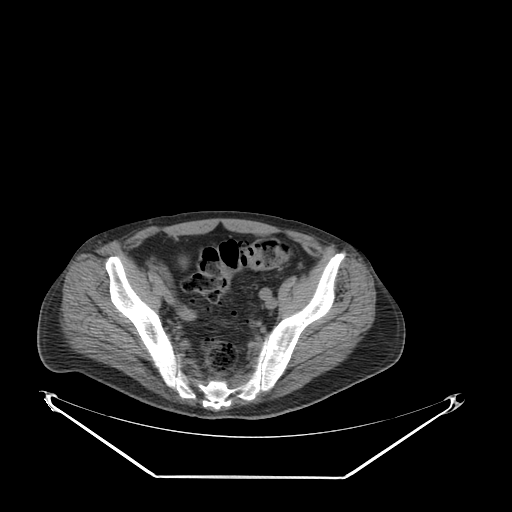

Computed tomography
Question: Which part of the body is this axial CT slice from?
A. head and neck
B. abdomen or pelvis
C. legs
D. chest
Answer: B. abdomen or pelvis
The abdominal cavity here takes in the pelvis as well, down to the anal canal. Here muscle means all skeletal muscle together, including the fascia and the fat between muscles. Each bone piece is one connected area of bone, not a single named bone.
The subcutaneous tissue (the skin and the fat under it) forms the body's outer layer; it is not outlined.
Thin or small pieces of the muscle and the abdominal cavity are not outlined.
{"bones":[[[341,251],[346,254],[333,303],[302,331],[273,387],[252,400],[233,397],[218,410],[204,407],[200,394],[182,398],[164,382],[136,328],[111,301],[105,268],[109,256],[120,258],[189,378],[225,379],[232,386],[250,377],[266,336],[308,303],[327,262]]],"abdominal_cavity":[[[219,224],[243,234],[283,233],[317,259],[308,272],[289,276],[281,284],[277,294],[278,322],[263,339],[257,355],[228,379],[210,377],[192,357],[172,343],[159,315],[164,283],[159,275],[145,271],[128,254],[129,250],[158,232],[171,236],[201,235]]],"muscle":[[[209,218],[258,221],[351,248],[365,261],[376,291],[374,322],[358,347],[334,368],[286,395],[219,410],[230,406],[233,398],[252,401],[261,391],[267,392],[274,387],[286,370],[303,331],[325,316],[332,307],[337,275],[347,254],[341,250],[332,255],[323,267],[307,303],[278,321],[280,287],[289,277],[308,273],[318,259],[283,232],[243,233],[229,230],[219,223],[201,234],[171,235],[158,231],[127,251],[138,267],[161,279],[163,288],[159,313],[134,290],[118,255],[109,255],[104,261],[110,301],[135,328],[163,382],[182,399],[196,399],[200,395],[203,407],[166,399],[122,371],[73,351],[66,342],[59,318],[65,276],[76,256],[93,246],[148,226],[168,226]],[[173,345],[174,345],[182,353],[192,358],[192,359],[199,366],[199,367],[209,377],[209,378],[208,378],[205,382],[201,379],[197,379],[196,378],[191,378],[189,377],[182,370],[182,366],[181,365],[181,354],[180,353],[176,353],[175,352],[174,346]],[[254,356],[255,357],[255,363],[253,365],[253,370],[250,374],[249,377],[244,382],[242,383],[240,383],[239,384],[233,384],[232,385],[230,385],[229,381],[228,380],[232,376],[233,376],[234,374],[235,374],[236,372],[238,371],[238,370],[243,368]]],"torso":[[[197,210],[240,210],[277,215],[313,225],[357,247],[368,258],[402,311],[405,343],[400,358],[389,368],[321,401],[262,419],[205,419],[178,414],[145,404],[81,373],[58,373],[46,368],[36,344],[40,305],[48,288],[77,248],[93,235],[118,225]]]}